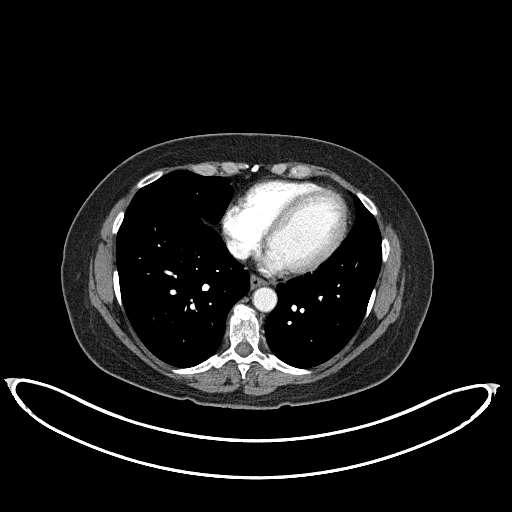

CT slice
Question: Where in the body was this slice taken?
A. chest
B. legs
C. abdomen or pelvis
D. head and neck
Answer: A. chest
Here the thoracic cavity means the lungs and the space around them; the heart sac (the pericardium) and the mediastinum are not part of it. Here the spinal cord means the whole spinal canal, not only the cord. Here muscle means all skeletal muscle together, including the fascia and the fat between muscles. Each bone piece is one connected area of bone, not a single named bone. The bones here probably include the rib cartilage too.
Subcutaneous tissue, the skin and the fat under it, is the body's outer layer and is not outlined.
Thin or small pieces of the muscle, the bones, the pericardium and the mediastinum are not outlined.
Outlined structures:
mediastinum 1: 262 324; 266 316; 277 303; 275 286; 279 282; 285 283; 286 282; 289 279; 293 278; 290 278; 287 280; 270 278; 258 271; 249 260; 241 261; 236 258; 243 264; 250 274; 250 288; 248 292; 237 302; 241 302; 251 306; 256 311; 257 316; 262 322
mediastinum 2: 231 200; 235 194; 246 183; 253 179; 261 177; 264 175; 273 175; 282 177; 285 176; 273 174; 270 171; 262 168; 260 168; 255 173; 252 173; 248 170; 242 170; 235 175; 225 176; 227 176; 230 179; 231 184; 234 189; 233 196
mediastinum 3: 350 230; 355 220; 355 208; 352 198; 353 193; 346 190; 335 182; 327 178; 322 177; 307 177; 301 179; 296 178; 296 179; 308 179; 314 181; 325 181; 332 183; 339 187; 348 197; 348 202; 350 204; 350 208; 352 210; 353 223
mediastinum 4: 231 253; 226 243; 226 240; 225 240; 224 238; 221 235; 221 233; 219 229; 219 223; 216 225; 213 225; 210 223; 208 223; 204 221; 205 223; 207 224; 209 224; 211 226; 212 226; 220 234; 227 248
muscle 1: 251 395; 267 394; 281 385; 312 382; 338 371; 371 345; 396 320; 401 308; 405 280; 398 235; 377 206; 378 214; 375 217; 381 235; 390 241; 390 253; 387 261; 381 265; 371 313; 363 320; 349 342; 329 360; 311 368; 311 374; 292 375; 275 369; 268 371; 259 363; 251 362; 246 377; 242 379; 233 360; 218 369; 211 368; 191 375; 174 374; 170 370; 172 367; 152 354; 139 339; 123 307; 117 304; 113 291; 112 270; 116 267; 116 235; 111 233; 111 224; 117 212; 126 209; 137 190; 138 180; 114 204; 102 224; 100 240; 89 265; 88 291; 91 304; 116 336; 160 373; 176 380; 183 380; 205 392; 241 389
muscle 2: 373 201; 371 196; 357 185; 345 179; 330 169; 322 166; 314 165; 309 163; 304 163; 299 161; 283 162; 285 162; 288 165; 288 167; 296 164; 304 164; 311 168; 312 172; 310 176; 327 177; 352 192; 353 190; 360 189; 371 198
muscle 3: 220 175; 223 175; 223 174; 219 169; 219 165; 220 163; 223 161; 213 161; 211 160; 210 161; 203 161; 199 163; 187 163; 182 165; 165 166; 164 167; 159 168; 164 170; 166 173; 165 174; 171 171; 177 170; 178 169; 186 169; 191 171; 191 167; 193 165; 198 163; 206 163; 207 162; 208 163; 211 163; 214 165; 216 165; 219 168; 219 171; 217 174; 219 174
pericardium: 282 279; 314 271; 331 255; 348 233; 352 223; 351 210; 347 202; 347 197; 339 188; 325 182; 296 180; 287 176; 282 178; 264 176; 246 184; 228 205; 219 222; 222 235; 227 240; 232 253; 241 260; 249 259; 262 273; 270 277
bones 1: 242 378; 251 361; 259 362; 268 370; 275 368; 292 374; 312 371; 289 365; 272 353; 263 352; 259 344; 266 345; 266 340; 255 311; 236 303; 227 319; 225 335; 229 345; 196 365; 173 367; 171 370; 191 374; 218 368; 233 359; inner edge: 244 356; 245 355; 246 355; 247 354; 248 354; 251 351; 251 346; 246 341; 245 341; 244 340; 243 341; 242 341; 241 342; 240 342; 236 346; 236 347; 235 348; 235 350; 239 354; 240 354; 241 355; 243 355
bones 2: 298 178; 306 177; 310 175; 311 172; 310 168; 304 165; 296 165; 288 168; 287 165; 285 163; 282 162; 281 163; 274 164; 270 170; 273 173; 276 173; 277 174; 283 174; 287 171; 288 172; 288 176; 297 177
bones 3: 224 175; 231 175; 232 174; 235 174; 239 172; 241 169; 248 169; 252 172; 255 172; 259 169; 259 164; 258 163; 255 163; 251 166; 247 163; 236 163; 235 162; 232 162; 231 161; 224 161; 222 162; 220 165; 220 169
bones 4: 374 216; 375 216; 377 214; 377 208; 376 207; 376 206; 374 204; 374 203; 371 200; 371 199; 370 199; 363 192; 362 192; 360 190; 356 190; 355 191; 353 191; 354 194; 355 194; 359 198; 359 199; 364 205; 364 206
bones 5: 206 176; 207 175; 214 175; 216 174; 216 173; 218 171; 218 168; 216 166; 214 166; 211 164; 208 164; 207 163; 206 164; 198 164; 192 167; 192 171; 193 172; 195 173; 197 173; 198 174; 200 174; 201 175; 205 175
bones 6: 138 189; 145 185; 147 185; 148 184; 153 182; 155 180; 156 180; 157 179; 158 179; 160 177; 161 177; 165 173; 164 172; 164 171; 159 169; 158 170; 155 170; 154 171; 147 174; 145 176; 144 176; 137 183; 137 188
bones 7: 120 306; 122 306; 122 302; 121 301; 121 294; 120 293; 120 290; 119 289; 119 277; 118 276; 117 269; 116 268; 115 268; 113 270; 113 285; 114 286; 114 291; 115 292; 116 299; 118 302; 118 304
bones 8: 114 234; 116 234; 117 233; 117 232; 118 231; 118 229; 119 228; 119 227; 123 220; 123 216; 124 215; 124 210; 121 210; 120 211; 119 211; 118 212; 118 213; 116 215; 116 216; 113 221; 113 223; 112 224; 112 233; 113 233
bones 9: 382 262; 385 262; 386 261; 386 260; 387 259; 387 257; 388 256; 388 254; 389 253; 389 241; 388 240; 388 239; 386 237; 382 237; 382 239; 381 240; 381 252; 382 253
bones 10: 364 318; 368 316; 368 315; 370 313; 371 308; 373 305; 373 302; 374 301; 374 299; 375 298; 375 295; 376 294; 376 288; 375 287; 373 288; 372 292; 371 293; 371 295; 369 298
torso: 238 409; 305 405; 368 389; 391 376; 415 342; 433 288; 431 246; 407 195; 383 168; 361 152; 322 139; 287 134; 224 132; 172 138; 118 164; 88 195; 70 225; 61 259; 61 287; 72 330; 87 357; 104 372; 142 389; 200 405
spinal cord: 244 356; 245 355; 246 355; 247 354; 248 354; 251 351; 251 346; 246 341; 245 341; 244 340; 243 341; 242 341; 241 342; 240 342; 236 346; 236 347; 235 348; 235 350; 239 354; 240 354; 241 355; 243 355
thoracic cavity 1: 176 367; 196 364; 223 350; 227 316; 232 305; 249 288; 248 271; 228 251; 219 234; 203 222; 216 224; 220 220; 233 192; 229 179; 219 175; 201 176; 186 170; 171 172; 139 189; 125 211; 116 238; 120 289; 130 323; 152 353
thoracic cavity 2: 308 368; 329 359; 352 337; 363 319; 366 304; 380 268; 381 236; 378 225; 375 218; 355 195; 353 198; 356 208; 356 220; 340 246; 314 272; 291 279; 285 284; 279 283; 276 286; 278 303; 262 325; 270 352; 289 364